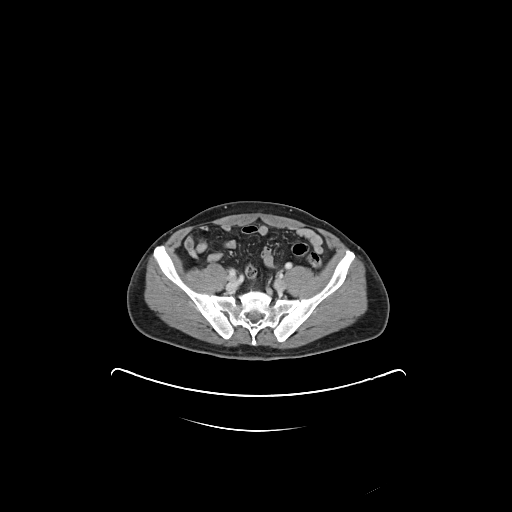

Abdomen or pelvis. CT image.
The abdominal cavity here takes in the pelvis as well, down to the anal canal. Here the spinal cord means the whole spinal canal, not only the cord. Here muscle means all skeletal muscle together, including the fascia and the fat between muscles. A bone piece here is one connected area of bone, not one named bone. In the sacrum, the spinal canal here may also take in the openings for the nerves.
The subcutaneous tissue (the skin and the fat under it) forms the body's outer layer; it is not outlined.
Outlines (x, y in pixels):
abdominal cavity: 258 219; 276 228; 310 228; 333 250; 321 271; 316 273; 298 264; 286 274; 285 289; 295 298; 273 298; 260 289; 249 289; 236 296; 216 294; 226 282; 226 269; 221 264; 184 268; 176 249; 195 228; 208 224; 246 225
torso: 235 200; 275 201; 301 208; 334 225; 363 248; 378 271; 389 297; 389 317; 383 332; 373 339; 331 351; 299 358; 267 361; 229 359; 193 352; 151 339; 140 333; 132 325; 127 313; 126 289; 142 254; 156 238; 173 226; 210 206
muscle 1: 257 212; 288 217; 324 229; 335 235; 348 248; 335 265; 325 285; 313 295; 302 298; 294 297; 286 289; 286 276; 294 266; 309 268; 316 274; 325 268; 334 250; 328 246; 324 238; 310 227; 276 227; 258 218; 246 224; 202 224; 183 237; 175 252; 185 270; 201 269; 213 263; 225 269; 225 282; 220 291; 210 294; 191 288; 179 275; 163 243; 174 232; 188 226; 228 215
muscle 2: 356 254; 360 256; 365 267; 368 308; 353 324; 298 347; 280 349; 264 345; 257 345; 256 335; 260 330; 266 327; 270 327; 272 329; 272 332; 276 341; 279 343; 284 342; 293 334; 311 315; 315 308; 344 283; 350 266; 356 257
muscle 3: 152 252; 152 256; 161 272; 187 295; 195 305; 196 309; 223 339; 228 340; 234 333; 234 327; 241 326; 248 330; 250 334; 251 345; 240 344; 237 346; 224 346; 213 344; 186 334; 162 321; 155 312; 148 307; 143 296; 147 261
spinal cord: 251 312; 257 312; 258 313; 259 313; 261 315; 261 317; 259 319; 258 319; 256 321; 255 321; 254 322; 253 321; 252 321; 248 317; 248 313; 250 313
bones: 162 244; 191 289; 220 296; 260 290; 273 299; 309 298; 326 285; 347 249; 355 257; 343 283; 284 341; 277 341; 273 329; 266 326; 252 345; 249 330; 241 325; 233 327; 228 339; 223 338; 162 272; 153 256; 154 248 with a hole at 251 312; 257 312; 258 313; 259 313; 261 315; 261 317; 259 319; 258 319; 256 321; 255 321; 254 322; 253 321; 252 321; 248 317; 248 313; 250 313